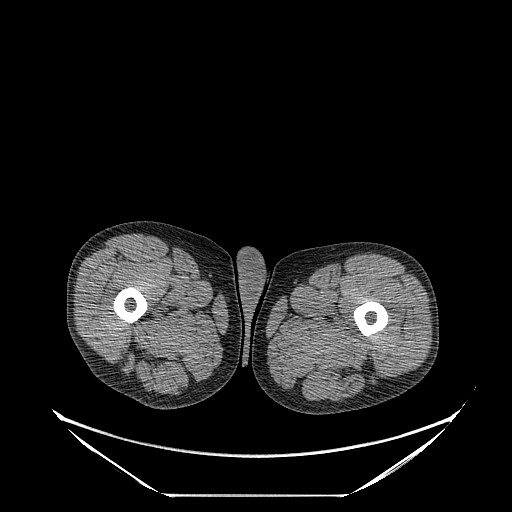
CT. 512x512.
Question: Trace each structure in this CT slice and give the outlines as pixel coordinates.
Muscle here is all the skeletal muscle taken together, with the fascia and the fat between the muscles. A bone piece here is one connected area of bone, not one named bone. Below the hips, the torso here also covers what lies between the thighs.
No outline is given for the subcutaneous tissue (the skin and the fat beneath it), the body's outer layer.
Answer: {"torso":[[[246,244],[249,244],[256,247],[262,253],[266,263],[269,267],[269,270],[266,277],[264,288],[258,299],[251,319],[249,331],[250,334],[250,349],[246,366],[243,367],[242,361],[240,360],[242,350],[243,318],[239,304],[235,257],[237,250],[241,246]]],"bones":[[[365,299],[371,299],[375,301],[378,301],[384,306],[388,314],[388,322],[387,324],[384,327],[384,328],[380,331],[378,331],[376,333],[374,333],[369,336],[366,336],[364,335],[359,330],[353,318],[353,311],[354,309],[359,304],[363,302]],[[128,286],[134,286],[136,287],[144,295],[147,301],[147,308],[145,312],[137,320],[136,320],[132,323],[128,323],[124,321],[122,319],[121,319],[114,312],[112,308],[113,301],[117,293],[123,288],[125,287],[127,287]]],"left_leg":[[[351,241],[368,241],[390,245],[410,254],[421,264],[432,284],[438,308],[439,347],[437,356],[430,370],[417,384],[383,402],[330,414],[309,414],[291,410],[274,401],[263,391],[254,376],[251,363],[251,336],[265,294],[270,268],[282,257],[294,251]]],"muscle":[{"outer":[[365,252],[378,253],[396,259],[411,270],[425,288],[430,300],[429,304],[432,322],[432,342],[427,357],[422,364],[413,371],[365,395],[344,403],[303,401],[284,392],[273,381],[266,362],[267,344],[265,329],[272,306],[278,297],[300,276],[338,259]],"hole":[[365,299],[371,299],[375,301],[378,301],[384,306],[388,314],[388,322],[387,324],[384,327],[384,328],[380,331],[378,331],[376,333],[374,333],[369,336],[366,336],[364,335],[359,330],[353,318],[353,311],[354,309],[359,304],[363,302]]},{"outer":[[126,233],[142,233],[154,235],[182,248],[209,271],[225,297],[229,319],[226,332],[223,362],[220,364],[209,380],[199,389],[188,396],[166,397],[153,395],[129,386],[107,369],[78,334],[75,328],[73,315],[74,283],[81,262],[87,254],[108,238]],"hole":[[128,286],[134,286],[136,287],[144,295],[147,301],[147,308],[145,312],[137,320],[136,320],[132,323],[128,323],[124,321],[122,319],[121,319],[114,312],[112,308],[113,301],[117,293],[123,288],[125,287],[127,287]]}],"right_leg":[[[137,220],[164,222],[204,235],[225,249],[234,260],[238,304],[242,318],[240,358],[233,375],[222,388],[206,399],[192,405],[173,409],[153,408],[114,390],[91,372],[68,331],[66,322],[66,283],[69,268],[75,254],[82,244],[95,233],[115,224]]]}